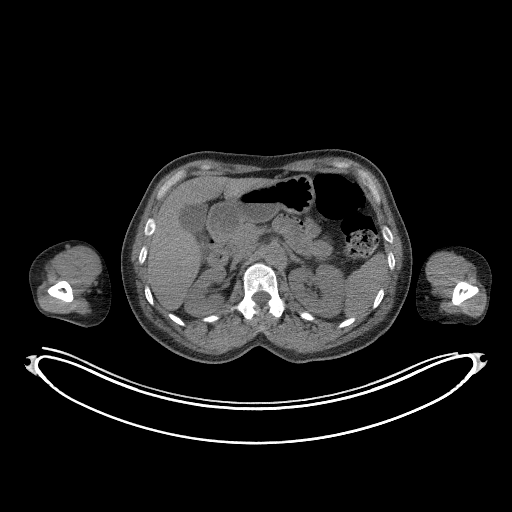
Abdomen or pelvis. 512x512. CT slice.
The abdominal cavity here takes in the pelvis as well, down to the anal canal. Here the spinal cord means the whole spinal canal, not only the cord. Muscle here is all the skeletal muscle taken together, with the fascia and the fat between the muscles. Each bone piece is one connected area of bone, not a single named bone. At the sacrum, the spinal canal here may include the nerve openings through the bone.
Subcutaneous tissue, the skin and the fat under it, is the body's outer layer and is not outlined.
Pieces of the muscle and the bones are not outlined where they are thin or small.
Outlines (x, y in pixels):
spinal cord: 259,291 264,291 265,292 266,292 269,295 269,296 270,297 269,298 269,299 267,301 266,304 265,304 262,306 260,306 259,305 258,305 253,300 253,299 252,298 253,295 256,292 258,292
left arm: 445,245 460,245 471,248 484,256 490,266 492,273 492,283 491,284 489,307 485,317 477,324 468,326 460,323 441,324 435,320 430,321 423,319 419,315 416,309 415,291 420,268 426,257 433,250 438,247
bones 1: 257,262 261,262 271,267 276,274 278,282 278,293 286,304 284,311 279,317 276,317 267,311 263,316 255,314 250,319 246,319 238,310 230,310 230,308 238,303 244,296 242,283 242,276 244,271 250,265 with a hole at 259,291 264,291 265,292 266,292 269,295 269,296 270,297 269,298 269,299 267,301 266,304 265,304 262,306 260,306 259,305 258,305 253,300 253,299 252,298 253,295 256,292 258,292
bones 2: 460,280 462,280 463,281 466,281 476,286 478,288 478,292 476,294 473,295 471,297 469,297 465,299 459,305 454,305 451,301 451,299 452,298 452,292 453,291 453,288 455,286 457,282
bones 3: 59,280 66,280 70,284 70,285 72,288 72,292 73,293 73,299 70,302 66,302 61,299 56,298 55,297 50,295 47,292 47,290 48,289 48,288 50,286 51,286 53,284 54,284 57,281 58,281
bones 4: 355,169 362,169 364,170 366,172 367,172 368,174 369,174 369,175 373,180 376,186 376,188 378,191 378,193 380,196 380,202 378,204 374,200 374,198 368,187 359,179 358,179 358,178 355,175
bones 5: 182,169 185,169 187,171 187,175 185,177 184,177 182,179 172,185 169,188 169,189 167,190 166,193 161,199 157,199 156,197 157,196 157,193 161,186 171,176 172,176 179,170 181,170
bones 6: 151,217 152,218 153,218 154,219 154,220 155,221 155,230 153,232 153,233 151,235 149,235 148,236 147,236 146,235 145,235 144,234 144,227 145,226 145,224 146,223 146,221 149,218 150,218
bones 7: 384,225 386,225 390,229 390,230 391,231 391,232 393,235 393,242 392,243 390,243 389,242 388,242 387,241 386,241 384,239 384,238 382,235 382,230 381,229 382,228 382,226 383,226
bones 8: 381,287 382,288 383,288 383,289 384,290 384,295 383,296 381,301 377,306 377,307 376,308 373,309 372,308 372,304 374,301 374,299 375,298 375,297 376,296 376,295 377,294 379,289
bones 9: 145,285 148,285 149,286 149,288 151,291 151,294 152,295 152,296 153,297 153,299 154,300 154,303 153,304 153,305 151,305 148,302 148,301 146,299 146,297 145,296 145,294 144,293 144,287 145,286
bones 10: 168,313 172,313 173,314 174,314 175,315 176,315 178,317 179,317 184,322 184,323 185,324 185,325 184,326 182,326 181,325 180,325 179,324 178,324 177,323 176,323 174,321 173,321 168,316
bones 11: 353,316 354,316 355,317 355,320 352,323 351,323 349,325 347,325 346,326 345,326 344,327 342,327 341,328 339,328 338,327 338,325 339,324 339,323 340,323 342,321 343,321 350,317 352,317
right arm: 69,239 80,239 84,240 93,245 100,252 107,266 111,282 111,304 109,311 105,319 101,323 94,326 83,327 61,319 44,316 36,308 32,298 29,282 28,281 28,270 32,261 40,252 49,246 58,242
torso: 323,148 353,151 372,161 384,174 404,221 412,249 411,281 390,328 354,353 305,363 288,362 257,346 234,360 204,364 186,359 150,337 138,323 126,298 120,252 129,222 158,170 181,155 202,150 275,155
muscle 1: 320,157 344,157 358,162 367,168 378,179 386,196 388,205 393,216 395,225 401,240 401,244 402,245 402,261 401,262 402,263 396,283 396,289 395,290 393,305 390,310 386,314 385,317 379,323 363,334 359,335 346,342 321,351 317,351 312,353 295,353 292,351 281,348 275,345 263,334 260,333 256,335 252,339 246,342 243,345 231,349 225,353 222,353 221,354 208,354 207,353 203,353 193,350 179,343 174,340 174,339 165,331 158,328 148,319 144,314 139,304 139,298 138,297 138,293 136,289 136,284 135,283 135,275 133,271 133,265 131,261 131,252 132,251 132,246 135,239 137,228 140,222 141,216 144,212 147,202 157,183 166,174 176,167 178,167 187,162 193,161 194,160 198,160 199,159 212,159 225,163 252,165 258,167 273,167 274,166 281,166 298,160 303,160 304,159 309,159 310,158 319,158, around holes outlined by 274,170 353,174 379,224 386,225 393,235 393,242 385,241 384,247 387,253 393,253 395,266 392,270 387,267 381,284 384,295 377,307 373,309 371,304 356,315 352,323 341,328 338,322 317,317 306,320 299,314 304,309 280,277 277,279 278,293 286,307 279,317 267,311 263,316 255,314 246,319 238,310 230,310 244,296 240,278 234,283 224,307 215,313 219,318 212,322 184,320 182,326 155,300 151,305 144,293 145,285 149,284 146,262 140,264 138,256 142,246 147,247 150,243 151,237 144,234 146,221 156,218 170,191 195,176 and by 355,169 362,169 364,170 366,172 367,172 368,174 369,174 369,175 373,180 376,186 376,188 378,191 378,193 380,196 380,202 378,204 374,200 374,198 368,187 359,179 358,179 358,178 355,175 and by 182,169 185,169 187,171 187,175 185,177 184,177 182,179 172,185 169,188 169,189 167,190 166,193 161,199 157,199 156,197 157,196 157,193 161,186 171,176 172,176 179,170 181,170 and by 334,161 342,161 343,162 347,162 348,163 349,163 351,165 351,167 350,168 348,168 347,169 346,169 345,168 339,168 338,167 336,167 335,166 334,166 332,164 332,162 333,162
muscle 2: 67,245 83,245 90,248 98,256 101,263 101,272 96,278 97,284 93,287 93,290 89,298 92,311 88,314 80,314 76,312 48,312 41,308 37,299 37,288 46,276 46,263 56,254 63,251 with a hole at 59,280 66,280 70,284 70,285 72,288 72,292 73,293 73,299 70,302 66,302 61,299 56,298 55,297 50,295 47,292 47,290 48,289 48,288 50,286 51,286 53,284 54,284 57,281 58,281
muscle 3: 440,251 453,251 456,254 463,256 476,267 476,275 484,286 486,293 486,304 483,312 480,315 472,317 462,313 447,314 444,312 440,312 438,310 438,302 431,293 431,284 426,278 425,269 430,258 434,254, around a hole outlined by 460,280 462,280 463,281 466,281 476,286 478,288 478,292 476,294 473,295 471,297 469,297 465,299 459,305 454,305 451,301 451,299 452,298 452,292 453,291 453,288 455,286 457,282
abdominal cavity: 274,170 353,174 376,213 385,241 387,270 372,303 365,311 340,322 320,319 304,310 271,266 257,261 243,271 224,307 215,313 184,320 164,309 152,294 146,258 150,236 156,230 156,214 170,191 195,176